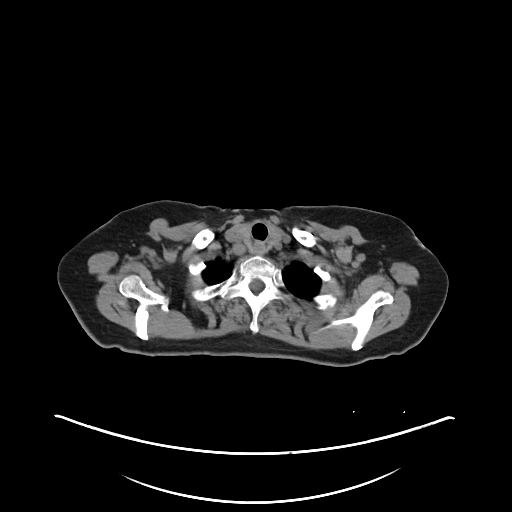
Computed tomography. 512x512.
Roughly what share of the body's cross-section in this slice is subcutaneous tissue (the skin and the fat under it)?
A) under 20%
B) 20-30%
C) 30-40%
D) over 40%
Answer: C) 30-40%
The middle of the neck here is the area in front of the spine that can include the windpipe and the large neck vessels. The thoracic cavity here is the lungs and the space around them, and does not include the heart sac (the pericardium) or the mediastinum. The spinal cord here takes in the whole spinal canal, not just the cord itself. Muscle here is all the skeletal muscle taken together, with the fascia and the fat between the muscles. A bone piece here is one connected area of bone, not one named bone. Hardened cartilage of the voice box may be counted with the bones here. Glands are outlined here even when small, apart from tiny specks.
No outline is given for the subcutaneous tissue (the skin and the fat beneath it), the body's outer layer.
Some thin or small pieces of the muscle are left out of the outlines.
{"bones":[{"outer":[[254,255],[262,256],[281,268],[282,279],[291,293],[291,297],[285,302],[273,299],[260,310],[257,316],[259,329],[256,333],[249,327],[252,314],[242,297],[225,300],[217,295],[198,301],[190,294],[195,288],[201,289],[207,284],[223,281],[242,260]],"hole":[[255,279],[257,279],[258,280],[259,280],[260,281],[261,281],[263,283],[263,288],[258,293],[257,293],[256,294],[255,293],[254,293],[251,290],[251,289],[250,288],[250,287],[249,286],[249,285],[250,284],[250,283],[253,280],[254,280]]},[[131,274],[139,276],[149,289],[163,294],[169,299],[168,311],[163,310],[159,304],[149,305],[147,307],[149,313],[147,321],[147,333],[149,338],[147,340],[141,339],[134,332],[134,318],[139,303],[133,298],[124,296],[118,287],[120,281],[125,276]],[[380,289],[389,292],[393,296],[393,301],[390,304],[379,306],[374,311],[371,325],[364,338],[363,346],[360,349],[352,350],[350,347],[351,342],[356,334],[356,329],[352,325],[345,323],[324,328],[334,319],[351,316],[357,308],[365,302],[375,291]],[[206,227],[209,227],[211,229],[212,229],[212,230],[214,232],[215,235],[214,236],[213,239],[205,247],[204,247],[201,249],[197,249],[193,246],[192,246],[192,240],[195,236],[195,235],[199,231],[200,231],[202,229],[203,229]],[[294,226],[297,227],[299,229],[306,230],[307,231],[310,232],[315,237],[316,237],[316,242],[315,243],[315,244],[311,247],[307,247],[303,244],[302,244],[300,242],[299,242],[294,237],[294,236],[292,234],[292,232],[291,231],[292,230],[292,228]],[[319,293],[322,293],[323,294],[332,294],[333,295],[334,295],[337,298],[337,300],[336,301],[336,303],[332,307],[328,307],[326,309],[325,309],[324,310],[322,310],[321,309],[318,309],[317,308],[317,305],[312,300],[312,298],[315,295],[316,295]],[[200,261],[202,261],[204,263],[205,263],[205,264],[206,265],[205,268],[201,272],[201,277],[202,278],[202,279],[200,279],[198,277],[197,277],[194,275],[192,275],[189,272],[189,271],[188,270],[188,265],[189,264],[196,264],[197,263],[198,263]],[[317,265],[319,265],[320,266],[320,267],[323,270],[324,270],[325,271],[327,271],[331,275],[331,276],[332,277],[332,279],[330,281],[328,281],[327,282],[324,282],[323,283],[322,283],[322,282],[321,281],[321,279],[313,271],[313,268]]],"muscle":[{"outer":[[238,214],[248,219],[269,215],[290,221],[308,219],[333,228],[355,226],[368,240],[358,247],[364,255],[360,263],[364,277],[380,269],[387,272],[395,261],[418,270],[408,319],[364,345],[375,311],[394,301],[389,291],[380,288],[351,315],[334,318],[323,327],[352,326],[355,334],[350,349],[310,349],[257,333],[258,316],[273,300],[285,303],[292,294],[311,300],[324,311],[332,308],[338,298],[319,292],[321,284],[333,279],[319,264],[312,268],[291,259],[280,267],[267,258],[286,262],[290,241],[274,225],[256,220],[239,225],[225,236],[230,256],[249,256],[237,265],[234,258],[220,257],[187,265],[192,276],[206,283],[193,288],[190,296],[198,302],[217,296],[225,301],[242,298],[251,314],[250,331],[199,339],[150,338],[148,307],[159,305],[168,312],[170,299],[149,288],[135,273],[125,275],[117,286],[124,297],[138,303],[134,334],[108,320],[94,301],[97,288],[87,270],[92,254],[113,250],[121,256],[137,255],[141,246],[153,244],[146,232],[158,217],[172,226],[193,220],[215,224]],"holes":[[[206,227],[209,227],[211,229],[212,229],[212,230],[214,232],[215,235],[214,236],[213,239],[205,247],[204,247],[201,249],[197,249],[193,246],[192,246],[192,240],[195,236],[195,235],[199,231],[200,231],[202,229],[203,229]],[[294,226],[297,227],[299,229],[306,230],[307,231],[310,232],[315,237],[316,237],[316,242],[315,243],[315,244],[311,247],[307,247],[303,244],[302,244],[300,242],[299,242],[294,237],[294,236],[292,234],[292,232],[291,231],[292,230],[292,228]]]}],"right_arm":[[[79,240],[80,241],[80,244],[81,245],[81,252],[80,253],[80,256],[78,260],[76,262],[76,263],[68,271],[62,274],[59,274],[58,275],[56,275],[56,273],[57,272],[57,266],[58,265],[58,262],[60,258],[73,245],[74,245]]],"spinal_cord":[[[255,279],[257,279],[258,280],[259,280],[260,281],[261,281],[263,283],[263,288],[258,293],[257,293],[256,294],[255,293],[254,293],[251,290],[251,289],[250,288],[250,287],[249,286],[249,285],[250,284],[250,283],[253,280],[254,280]]],"middle_of_the_neck":[[[256,221],[268,224],[268,248],[277,245],[283,235],[287,238],[289,244],[286,251],[288,258],[286,261],[278,261],[271,256],[265,257],[259,254],[244,254],[236,257],[230,255],[229,245],[226,241],[228,233],[234,231],[237,238],[247,244],[250,225]]],"thyroid_glands":[[[269,225],[271,225],[272,226],[274,226],[276,228],[277,228],[281,232],[281,234],[282,235],[281,236],[281,238],[280,239],[280,241],[277,244],[276,244],[275,245],[274,245],[273,246],[272,246],[271,247],[268,247],[268,240],[269,239]],[[245,224],[250,224],[249,225],[249,228],[248,229],[248,242],[247,243],[245,243],[242,240],[239,239],[238,238],[238,237],[236,234],[236,232],[235,231],[236,228],[237,228],[239,226],[241,226],[242,225],[244,225]]],"torso":[[[162,199],[253,209],[337,204],[397,216],[428,248],[425,267],[439,285],[448,288],[445,302],[424,338],[411,349],[346,367],[237,355],[148,356],[101,347],[78,322],[59,289],[56,276],[68,272],[77,263],[82,252],[80,239],[88,233],[122,210]]],"left_arm":[[[429,249],[435,254],[435,255],[438,258],[439,261],[441,263],[443,267],[446,270],[447,274],[448,275],[448,280],[449,281],[448,287],[446,287],[445,286],[443,286],[439,284],[430,275],[426,267],[426,264],[425,263],[425,258],[426,257],[426,254]]],"thoracic_cavity":[[[291,260],[292,261],[293,260],[297,260],[304,263],[308,267],[311,268],[312,271],[320,279],[321,283],[319,287],[319,291],[318,293],[315,294],[311,299],[305,299],[301,297],[298,297],[294,295],[288,290],[287,286],[283,279],[282,267],[286,265]],[[218,258],[220,258],[226,261],[229,261],[230,260],[234,259],[234,266],[232,268],[230,274],[226,278],[218,282],[212,283],[211,284],[208,284],[202,277],[202,272],[206,268],[207,266],[206,263],[207,262],[209,262],[210,261],[214,261]]]}